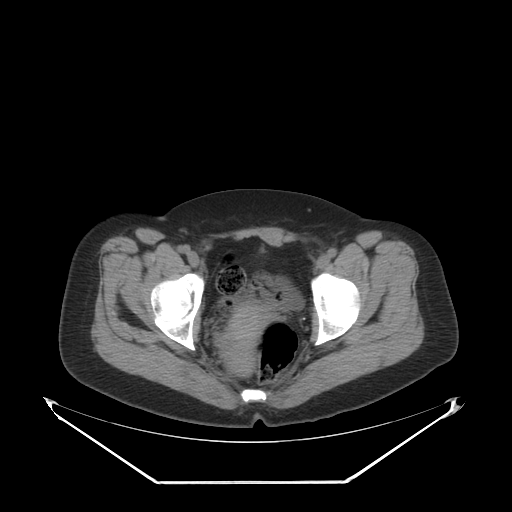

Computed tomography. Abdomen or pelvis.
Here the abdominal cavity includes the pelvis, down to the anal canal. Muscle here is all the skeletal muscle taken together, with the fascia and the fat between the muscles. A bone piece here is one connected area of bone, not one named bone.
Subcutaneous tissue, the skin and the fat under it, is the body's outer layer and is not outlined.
muscle: [[130,224],[156,225],[177,240],[252,226],[277,226],[332,240],[347,240],[372,229],[397,233],[410,243],[419,258],[416,295],[424,324],[423,341],[397,363],[285,409],[258,402],[223,409],[126,373],[94,351],[90,329],[99,283],[99,249],[108,238]]; inner edge: [[252,236],[275,247],[299,241],[311,245],[315,256],[309,276],[314,278],[327,272],[352,281],[359,291],[360,309],[357,319],[344,333],[314,345],[318,317],[313,305],[309,339],[288,372],[262,389],[266,392],[264,401],[245,402],[240,394],[245,387],[221,369],[200,343],[206,297],[201,297],[193,317],[195,350],[191,350],[168,337],[154,323],[150,293],[156,284],[190,272],[206,280],[206,257],[214,241],[238,241]]
bones 1: [[190,272],[194,272],[202,276],[205,281],[204,290],[200,301],[200,306],[196,314],[193,317],[194,319],[192,326],[192,337],[195,350],[191,350],[171,339],[154,323],[154,314],[152,311],[150,303],[150,293],[152,288],[156,284],[167,279],[175,279]]
bones 2: [[322,272],[327,272],[330,274],[346,278],[352,281],[356,285],[359,291],[360,309],[357,319],[344,333],[321,344],[314,345],[314,342],[316,340],[318,332],[318,317],[313,303],[313,297],[312,296],[312,291],[310,287],[310,281],[312,278],[318,276]]
bones 3: [[245,388],[253,388],[254,389],[256,389],[257,388],[258,389],[262,389],[266,392],[266,399],[264,401],[262,400],[259,400],[258,401],[254,401],[253,400],[250,400],[248,402],[245,402],[242,399],[241,397],[241,395],[240,394],[241,391]]
abdominal cavity: [[252,236],[259,237],[270,246],[280,247],[300,241],[315,249],[309,272],[313,304],[309,339],[288,372],[263,388],[240,384],[218,366],[218,362],[207,354],[200,343],[206,302],[203,294],[205,280],[208,278],[206,257],[213,242],[226,238],[238,241]]
torso: [[234,188],[307,193],[362,216],[394,220],[421,233],[441,261],[455,309],[459,342],[453,358],[363,407],[273,427],[260,419],[250,428],[180,421],[124,404],[73,378],[60,359],[58,325],[69,264],[82,236],[112,214],[135,210],[162,214],[188,199]]